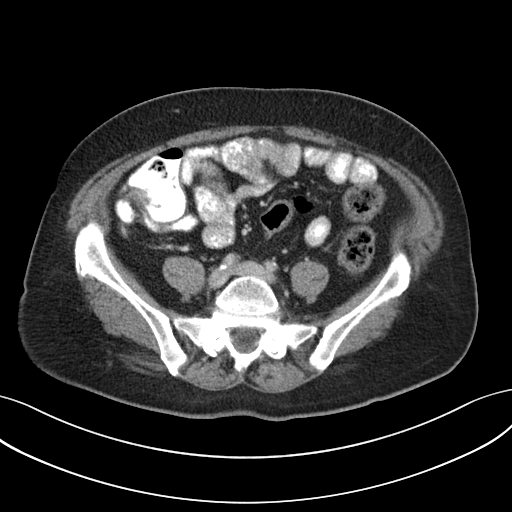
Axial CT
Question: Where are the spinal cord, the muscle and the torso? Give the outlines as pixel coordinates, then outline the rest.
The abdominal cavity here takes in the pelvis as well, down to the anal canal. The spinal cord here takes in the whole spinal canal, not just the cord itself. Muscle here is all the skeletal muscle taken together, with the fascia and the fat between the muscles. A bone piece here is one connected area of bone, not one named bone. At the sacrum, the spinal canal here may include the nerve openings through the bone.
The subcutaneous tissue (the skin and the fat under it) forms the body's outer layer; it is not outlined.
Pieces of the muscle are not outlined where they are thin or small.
Answer: {"spinal_cord":[[[242,327],[245,327],[246,328],[255,328],[258,330],[258,337],[257,338],[257,339],[255,341],[255,347],[251,351],[249,351],[248,352],[244,352],[243,351],[242,352],[241,351],[238,350],[235,347],[235,346],[234,345],[234,330],[237,328],[241,328]]],"muscle":[{"outer":[[230,125],[296,125],[351,138],[416,173],[438,202],[445,224],[441,247],[413,286],[389,333],[366,349],[352,370],[326,373],[277,393],[244,384],[207,390],[176,378],[188,356],[174,328],[212,358],[226,350],[238,372],[262,353],[279,360],[289,348],[295,350],[315,335],[319,329],[314,324],[283,321],[282,309],[307,317],[329,313],[346,301],[385,266],[393,224],[407,218],[413,209],[396,180],[360,153],[261,129],[177,145],[142,159],[122,174],[106,197],[108,238],[114,251],[158,303],[180,313],[195,313],[213,304],[209,315],[178,314],[171,318],[143,299],[114,266],[104,230],[94,219],[77,231],[73,258],[66,217],[74,195],[90,176],[120,156],[157,141]],"hole":[[398,250],[401,250],[406,253],[411,264],[411,274],[408,287],[400,295],[391,298],[370,311],[348,333],[335,352],[331,363],[321,373],[319,373],[309,363],[308,360],[318,343],[323,328],[333,320],[349,312],[373,290],[385,272],[392,255]]},[[76,274],[80,278],[85,278],[87,276],[94,278],[99,282],[108,286],[124,298],[140,314],[153,334],[159,350],[159,358],[165,366],[167,372],[171,376],[151,376],[142,374],[129,369],[117,359],[115,354],[115,340],[98,324],[87,308]],[[170,256],[187,256],[190,258],[193,258],[197,260],[203,266],[205,271],[205,281],[204,282],[203,287],[199,292],[195,294],[192,294],[189,296],[184,296],[179,291],[178,291],[175,288],[172,287],[166,281],[162,272],[162,266],[164,263],[165,259]],[[302,261],[315,261],[316,262],[319,262],[323,264],[327,268],[329,273],[329,278],[325,287],[317,296],[316,299],[312,302],[307,302],[306,299],[304,297],[302,297],[294,292],[292,290],[292,287],[291,286],[290,271],[295,264],[298,262],[301,262]]],"torso":[[[212,86],[305,87],[351,94],[400,115],[437,146],[464,200],[478,300],[473,339],[449,373],[393,397],[337,413],[281,421],[246,415],[205,419],[104,397],[62,382],[29,360],[16,329],[17,304],[42,213],[67,156],[87,134],[128,107],[164,94]]],"abdominal_cavity":[{"outer":[[261,130],[360,154],[395,180],[412,209],[407,217],[400,217],[392,224],[386,263],[365,285],[326,313],[306,316],[282,308],[272,287],[254,273],[232,278],[214,297],[213,303],[195,312],[180,312],[161,304],[111,244],[108,195],[125,172],[159,152]],"hole":[[170,256],[187,256],[190,258],[193,258],[197,260],[203,266],[205,271],[205,281],[204,282],[203,287],[199,292],[195,294],[192,294],[189,296],[184,296],[179,291],[178,291],[175,288],[172,287],[166,281],[162,272],[162,266],[164,263],[165,259]]}],"bones":[{"outer":[[90,220],[101,226],[109,258],[124,281],[171,319],[209,316],[232,279],[254,274],[273,290],[283,322],[311,324],[317,332],[279,359],[262,352],[238,371],[226,349],[212,357],[174,327],[187,356],[174,377],[141,314],[108,285],[76,273],[75,239]],"hole":[[242,327],[245,327],[246,328],[255,328],[258,330],[258,337],[257,338],[257,339],[255,341],[255,347],[251,351],[249,351],[248,352],[244,352],[243,351],[242,352],[241,351],[238,350],[235,347],[235,346],[234,345],[234,330],[237,328],[241,328]]},[[398,250],[401,250],[406,253],[411,264],[411,274],[408,287],[400,295],[391,298],[370,311],[348,333],[335,352],[331,363],[321,373],[319,373],[309,363],[308,360],[318,343],[323,328],[333,320],[349,312],[373,290],[385,272],[392,255]]]}